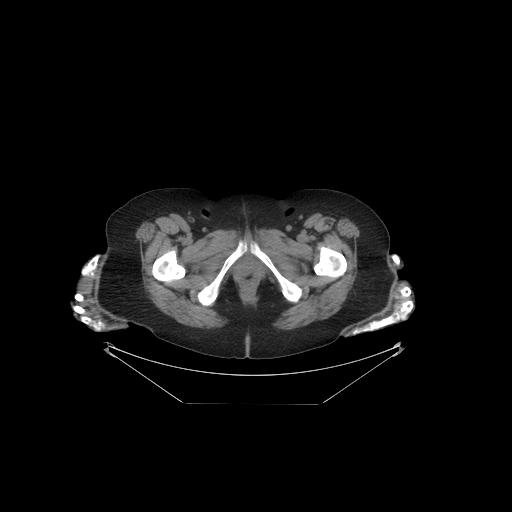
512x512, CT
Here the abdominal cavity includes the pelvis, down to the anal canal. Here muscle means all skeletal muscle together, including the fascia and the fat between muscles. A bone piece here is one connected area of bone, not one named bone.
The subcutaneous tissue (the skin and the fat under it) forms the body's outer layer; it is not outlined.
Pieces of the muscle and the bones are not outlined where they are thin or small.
Outlines (x, y in pixels):
right arm: (98, 253) (101, 253) (103, 255) (103, 263) (96, 278) (95, 298) (97, 303) (109, 315) (118, 320) (129, 323) (130, 325) (128, 327) (98, 332) (90, 329) (84, 323) (75, 319) (72, 315) (72, 309) (69, 305) (69, 300) (73, 296) (75, 284) (82, 266) (91, 257)
bones 1: (240, 240) (243, 240) (248, 244) (253, 241) (256, 242) (268, 255) (279, 272) (302, 289) (302, 294) (296, 302) (291, 302) (283, 296) (280, 285) (271, 270) (248, 250) (239, 257) (224, 274) (215, 301) (207, 306) (199, 302) (197, 293) (215, 278) (224, 260) (236, 248)
bones 2: (404, 286) (408, 286) (411, 289) (408, 298) (412, 300) (414, 304) (406, 320) (373, 331) (354, 335) (348, 334) (348, 332) (353, 328) (362, 326) (373, 320) (381, 319) (389, 315) (395, 309) (398, 309) (401, 302) (406, 299) (405, 297) (402, 297) (399, 292) (399, 289)
bones 3: (322, 246) (329, 247) (331, 249) (333, 249) (339, 252) (341, 252) (343, 254) (347, 262) (347, 268) (343, 275) (335, 279) (331, 279) (328, 276) (324, 276) (323, 275) (317, 275) (315, 273) (313, 269) (313, 266) (319, 260) (319, 253) (320, 252) (320, 248)
bones 4: (169, 250) (174, 250) (176, 252) (177, 261) (179, 264) (182, 265) (185, 268) (185, 274) (182, 278) (180, 278) (176, 280) (173, 280) (169, 283) (165, 283) (162, 281) (159, 281) (157, 280) (152, 275) (151, 270) (152, 269) (153, 262) (155, 259) (157, 257) (160, 256)
bones 5: (74, 305) (79, 305) (84, 308) (85, 309) (84, 314) (95, 320) (100, 319) (104, 321) (107, 324) (110, 325) (126, 325) (126, 326) (117, 329) (108, 330) (107, 331) (101, 331) (100, 332) (94, 331) (90, 327) (79, 320) (80, 315) (78, 313) (75, 312) (72, 308)
bones 6: (96, 255) (98, 255) (98, 257) (97, 258) (97, 265) (96, 266) (96, 267) (95, 268) (95, 269) (94, 270) (94, 274) (93, 275) (93, 276) (91, 276) (90, 275) (83, 275) (81, 273) (81, 270) (82, 269) (82, 268) (92, 258) (93, 258)
bones 7: (76, 293) (80, 293) (83, 296) (83, 300) (82, 301) (78, 301) (77, 300) (76, 300) (75, 299) (75, 298) (74, 297) (74, 295)
left arm: (390, 252) (401, 258) (404, 262) (404, 266) (398, 271) (398, 275) (401, 278) (408, 279) (412, 284) (416, 298) (414, 311) (405, 321) (400, 323) (344, 337) (343, 335) (345, 332) (352, 327) (375, 319) (391, 308) (393, 302) (392, 288) (397, 276) (389, 258)
abdominal cavity: (247, 258) (250, 258) (254, 260) (259, 265) (262, 270) (259, 276) (259, 281) (258, 282) (258, 285) (256, 287) (256, 289) (253, 292) (249, 299) (248, 299) (243, 294) (240, 288) (240, 286) (239, 285) (239, 283) (236, 276) (236, 268) (238, 267) (238, 266) (242, 261)
torso: (165, 187) (194, 188) (213, 199) (235, 192) (281, 198) (303, 188) (329, 188) (356, 196) (379, 215) (389, 232) (388, 258) (396, 276) (390, 308) (352, 326) (329, 345) (260, 360) (199, 354) (159, 339) (145, 326) (116, 318) (96, 298) (106, 248) (106, 220) (132, 197)
muscle 1: (168, 211) (181, 213) (200, 236) (216, 229) (243, 232) (247, 227) (252, 231) (275, 228) (290, 235) (312, 212) (345, 216) (360, 231) (356, 278) (340, 310) (329, 318) (290, 330) (277, 329) (271, 323) (288, 306) (283, 297) (296, 303) (303, 289) (280, 272) (256, 241) (248, 243) (240, 239) (214, 278) (196, 293) (198, 302) (206, 307) (217, 298) (214, 308) (229, 321) (210, 329) (183, 325) (160, 311) (147, 297) (135, 239) (135, 231) (146, 216) with holes at (322, 246) (329, 247) (331, 249) (333, 249) (339, 252) (341, 252) (343, 254) (347, 262) (347, 268) (343, 275) (335, 279) (331, 279) (328, 276) (324, 276) (323, 275) (317, 275) (315, 273) (313, 269) (313, 266) (319, 260) (319, 253) (320, 252) (320, 248) and at (169, 250) (174, 250) (176, 252) (177, 261) (179, 264) (182, 265) (185, 268) (185, 274) (182, 278) (180, 278) (176, 280) (173, 280) (169, 283) (165, 283) (162, 281) (159, 281) (157, 280) (152, 275) (151, 270) (152, 269) (153, 262) (155, 259) (157, 257) (160, 256)
muscle 2: (248, 251) (260, 260) (270, 270) (275, 277) (280, 288) (280, 292) (275, 284) (272, 283) (267, 278) (265, 278) (263, 280) (262, 287) (260, 289) (260, 298) (257, 302) (256, 306) (244, 305) (242, 303) (231, 275) (224, 284) (219, 295) (220, 285) (225, 274) (231, 266); inner edge: (247, 258) (250, 258) (254, 260) (259, 265) (262, 270) (259, 276) (259, 281) (258, 282) (258, 285) (256, 287) (256, 289) (253, 292) (249, 299) (248, 299) (243, 294) (240, 288) (240, 286) (239, 285) (239, 283) (236, 276) (236, 268) (238, 267) (238, 266) (242, 261)
muscle 3: (97, 268) (92, 287) (92, 295) (97, 310) (110, 321) (124, 322) (129, 325) (128, 327) (118, 329) (126, 327) (126, 324) (110, 324) (100, 318) (95, 319) (85, 314) (86, 309) (77, 304) (77, 302) (84, 300) (84, 296) (79, 292) (82, 279) (85, 276) (93, 277)
muscle 4: (399, 282) (405, 283) (406, 284) (406, 285) (404, 285) (398, 289) (398, 292) (400, 296) (402, 298) (405, 298) (405, 299) (402, 300) (400, 302) (398, 308) (395, 308) (389, 314) (381, 318) (375, 319) (383, 315) (387, 311) (393, 302) (394, 296) (395, 295) (395, 291)